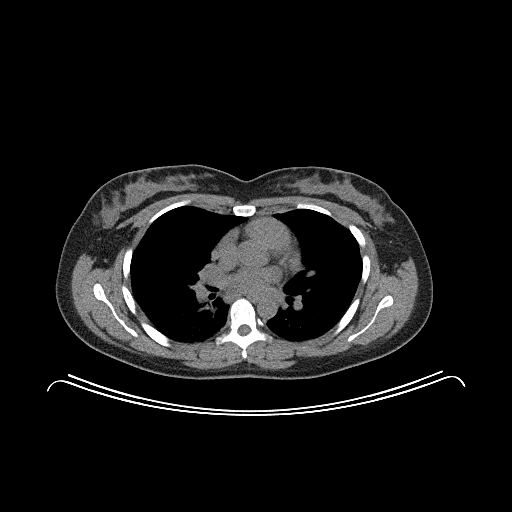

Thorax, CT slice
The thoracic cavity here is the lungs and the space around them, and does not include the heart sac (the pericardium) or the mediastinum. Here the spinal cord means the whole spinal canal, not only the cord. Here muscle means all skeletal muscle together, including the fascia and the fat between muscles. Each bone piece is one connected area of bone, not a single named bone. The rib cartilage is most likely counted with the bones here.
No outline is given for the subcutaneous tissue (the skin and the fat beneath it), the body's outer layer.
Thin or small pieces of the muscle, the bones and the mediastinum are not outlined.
Outlines (x, y in pixels):
spinal cord: 242,325 247,325 249,327 249,328 250,329 250,330 249,331 249,332 248,333 247,333 246,334 245,334 244,335 242,335 241,334 240,334 238,332 238,329 239,328 239,327 240,326 241,326
pericardium: 262,216 272,217 279,220 289,228 297,239 300,250 300,262 297,270 287,277 280,284 266,289 249,289 245,286 241,286 234,282 221,270 216,264 217,262 213,258 212,253 218,242 230,230 242,226 254,218
mediastinum 1: 211,253 215,264 221,271 234,283 249,290 266,290 278,286 298,270 301,262 303,267 284,284 279,307 275,315 265,323 258,317 254,306 245,297 237,298 230,305 224,300 224,296 220,293 220,281 211,261
mediastinum 2: 275,211 276,212 277,211 284,211 282,211 281,212 275,212 272,216 268,216 267,215 257,216 256,217 254,217 242,225 236,226 240,224 245,223 247,220 247,217 251,217 255,214 263,214 266,212 274,212
muscle: 185,193 226,195 243,203 235,204 232,213 225,213 191,205 190,198 174,201 153,214 135,247 125,250 122,275 125,280 129,277 130,289 125,283 121,285 123,299 133,315 139,307 148,321 141,319 140,326 158,344 169,348 171,340 192,343 215,336 217,346 232,342 246,359 247,348 252,343 273,340 270,332 287,341 307,341 333,327 335,336 353,318 361,300 354,296 360,282 366,283 371,268 370,257 360,251 366,245 361,229 353,223 343,225 328,209 312,202 297,201 288,210 256,213 257,207 246,203 262,197 304,196 331,201 352,209 375,226 377,229 369,235 380,264 402,262 409,256 414,261 418,289 408,319 392,336 369,350 350,355 302,357 280,369 264,369 246,361 224,368 198,369 176,359 134,353 105,341 84,323 74,306 71,276 77,259 86,253 97,258 98,266 109,267 129,233 125,227 115,227 155,201; inner edges: 95,283 99,283 101,285 103,288 104,293 107,299 111,303 116,314 127,326 133,329 137,333 137,336 136,337 132,335 123,327 123,326 115,318 110,308 102,300 97,299 95,297 94,293 93,292 93,286, then 386,295 391,295 392,296 393,298 393,303 389,306 381,308 377,313 374,321 367,329 366,329 362,333 356,336 352,340 347,341 347,339 350,335 359,331 369,322 374,314 374,312 378,305 378,303 380,300
thoracic cavity 1: 190,205 215,212 232,214 238,217 246,217 246,220 224,234 210,253 210,261 219,281 219,293 229,306 227,319 221,328 221,331 203,341 184,342 171,339 149,323 132,294 130,268 134,249 148,227 166,212
thoracic cavity 2: 292,209 319,212 346,227 359,246 362,263 360,281 353,299 335,325 322,335 300,341 282,338 269,331 266,325 267,321 276,315 280,307 285,284 304,267 301,261 300,245 295,234 285,223 273,217 275,213
torso: 177,164 201,164 243,180 283,167 324,166 353,172 377,183 407,214 430,265 433,300 423,327 407,343 387,355 308,379 170,377 134,367 88,346 66,324 55,297 56,274 67,234 89,197 106,181 133,170
bones 1: 239,298 245,298 251,303 257,317 265,324 273,338 270,342 262,340 256,340 252,342 246,348 246,358 242,357 241,348 232,341 227,341 218,345 215,343 215,337 222,332 222,328 228,319 228,313 231,304; inner edge: 242,325 247,325 249,327 249,328 250,329 250,330 249,331 249,332 248,333 247,333 246,334 245,334 244,335 242,335 241,334 240,334 238,332 238,329 239,328 239,327 240,326 241,326
bones 2: 95,283 99,283 101,285 103,288 104,293 107,299 111,303 116,314 127,326 133,329 137,333 137,336 136,337 132,335 123,327 123,326 115,318 110,308 102,300 97,299 95,297 94,293 93,292 93,286
bones 3: 386,295 391,295 392,296 393,298 393,303 389,306 381,308 377,313 374,321 367,329 366,329 362,333 356,336 352,340 347,341 347,339 350,335 359,331 369,322 374,314 374,312 378,305 378,303 380,300
bones 4: 357,297 358,297 360,300 359,301 357,309 355,313 353,315 352,318 349,321 349,322 338,333 337,333 335,335 333,335 333,331 335,329 335,326 336,324 339,321 341,317 347,310 347,309 351,304 352,301
bones 5: 141,320 150,324 158,331 159,331 161,333 165,335 168,338 169,338 170,339 171,346 169,347 168,346 164,346 158,343 152,338 151,338 145,332 145,331 141,326 140,324 140,321
bones 6: 183,199 190,199 191,200 191,202 189,205 183,205 182,206 179,206 178,207 170,209 166,211 158,217 157,217 149,225 148,221 149,219 153,215 154,215 164,207 174,202 176,202 177,201 179,201
bones 7: 242,204 250,204 251,205 254,205 256,207 256,212 253,215 252,215 251,216 238,216 237,215 235,215 234,214 233,214 233,213 232,212 232,208 235,205 241,205
bones 8: 123,284 125,284 126,285 126,286 130,290 130,291 131,292 131,294 136,303 136,314 133,314 131,312 131,311 129,309 129,308 124,299 124,297 123,296 123,293 122,292 122,289 121,288 121,287
bones 9: 297,202 304,202 305,203 312,203 313,204 316,204 328,210 332,214 332,215 335,218 335,219 331,216 329,216 324,213 322,213 319,211 316,211 312,209 308,209 307,208 295,208 295,204
bones 10: 129,247 131,247 133,249 133,251 132,252 132,255 131,256 131,261 130,262 130,267 129,268 129,276 128,277 128,278 125,279 124,278 124,276 123,275 123,259 124,258 124,254 125,253 126,250
bones 11: 349,224 353,224 354,225 355,225 357,227 358,227 360,229 360,230 364,237 364,239 365,240 365,245 364,246 364,247 360,247 360,246 359,245 358,242 356,240 355,237 352,234 352,233 348,228 348,225
bones 12: 364,254 366,254 369,257 369,259 370,260 370,268 369,269 369,274 367,277 367,279 366,280 366,281 365,282 365,283 363,283 361,281 361,275 362,274 362,270 363,269 363,263 362,262 362,256